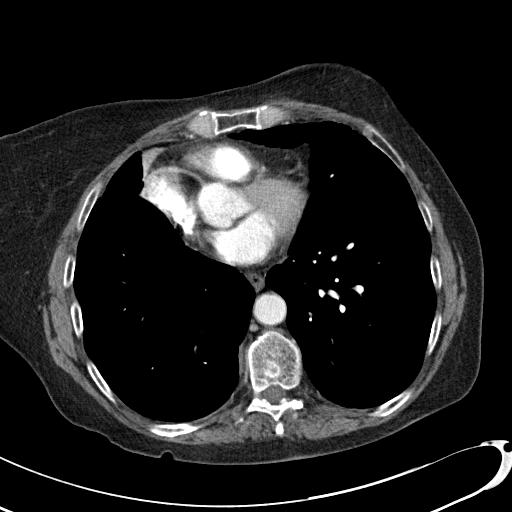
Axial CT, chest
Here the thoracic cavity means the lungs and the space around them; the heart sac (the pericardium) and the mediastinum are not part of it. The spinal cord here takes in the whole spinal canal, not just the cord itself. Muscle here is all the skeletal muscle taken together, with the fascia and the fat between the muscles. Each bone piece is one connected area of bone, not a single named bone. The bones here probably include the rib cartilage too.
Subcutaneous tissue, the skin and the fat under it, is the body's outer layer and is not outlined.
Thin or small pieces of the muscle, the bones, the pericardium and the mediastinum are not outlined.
{"spinal_cord":[[[270,386],[279,386],[282,389],[283,389],[285,391],[285,396],[282,397],[278,401],[278,402],[276,402],[275,403],[273,403],[272,402],[269,401],[266,398],[265,398],[262,396],[262,393],[263,392],[263,391],[264,391],[267,388],[268,388]]],"muscle":[[[201,106],[239,109],[199,110],[185,124],[187,133],[135,151],[102,191],[104,183],[98,180],[83,200],[75,224],[81,233],[76,254],[66,256],[62,284],[66,289],[73,287],[75,298],[69,313],[76,337],[83,340],[89,358],[85,367],[91,379],[113,404],[121,401],[158,422],[146,425],[151,433],[170,438],[202,428],[202,421],[231,403],[242,387],[250,389],[250,397],[245,404],[240,401],[231,408],[234,423],[241,423],[252,412],[265,413],[281,437],[283,414],[305,406],[304,400],[293,394],[303,371],[312,386],[335,404],[373,408],[367,413],[370,417],[385,417],[395,411],[411,397],[414,389],[408,387],[424,358],[432,353],[442,326],[442,313],[435,313],[442,273],[438,257],[431,254],[433,218],[428,205],[416,200],[403,174],[406,168],[402,159],[423,184],[448,241],[461,256],[467,295],[461,320],[437,371],[396,416],[321,439],[291,441],[277,437],[242,443],[182,444],[149,437],[118,421],[54,362],[40,306],[48,302],[47,273],[57,241],[82,193],[128,144],[159,124]],[[282,97],[299,100],[308,103],[325,105],[339,111],[361,117],[370,123],[366,123],[360,133],[345,123],[337,122],[333,120],[325,119],[307,121],[290,121],[289,120],[290,114],[283,107],[267,103],[260,104],[264,101],[270,99],[276,99]]],"thoracic_cavity":[[[325,120],[349,126],[393,162],[415,198],[430,239],[429,269],[436,303],[423,361],[405,389],[375,407],[340,405],[313,386],[300,348],[288,329],[286,301],[266,284],[268,271],[288,257],[311,194],[310,144],[273,147],[230,136],[245,129]],[[159,147],[164,150],[145,175],[141,195],[167,218],[186,246],[235,268],[254,291],[248,327],[238,345],[239,379],[235,389],[223,404],[193,421],[159,422],[150,419],[130,408],[114,393],[86,351],[82,312],[73,286],[80,236],[109,180],[135,152]]],"bones":[{"outer":[[266,330],[293,339],[301,354],[301,377],[292,394],[304,406],[282,414],[281,436],[265,412],[246,413],[235,423],[231,410],[248,402],[251,389],[247,386],[194,431],[170,437],[148,429],[149,423],[193,422],[223,405],[246,372],[245,349]],"hole":[[270,386],[279,386],[282,389],[283,389],[285,391],[285,396],[282,397],[278,401],[278,402],[276,402],[275,403],[273,403],[272,402],[269,401],[266,398],[265,398],[262,396],[262,393],[263,392],[263,391],[264,391],[267,388],[268,388]]},[[264,104],[278,106],[286,110],[289,114],[288,119],[289,122],[287,123],[279,123],[261,129],[242,127],[236,128],[231,131],[220,133],[210,137],[190,133],[186,128],[186,124],[190,119],[196,115],[199,111],[204,109],[230,113],[235,110],[251,108]],[[366,124],[371,124],[376,129],[379,134],[384,139],[385,139],[385,140],[395,150],[396,153],[399,156],[404,165],[404,167],[405,168],[403,172],[402,172],[397,167],[394,162],[385,153],[384,153],[379,148],[374,145],[364,135],[362,134],[362,132]],[[98,181],[101,181],[103,183],[103,187],[100,192],[99,196],[94,203],[86,219],[86,221],[83,226],[83,228],[81,232],[79,232],[76,228],[76,224],[77,223],[77,218],[78,217],[78,215],[80,212],[80,210],[82,207],[82,205],[88,192]],[[407,388],[412,388],[413,389],[413,391],[410,397],[404,403],[403,403],[395,410],[394,410],[392,412],[391,412],[389,414],[385,416],[370,416],[368,415],[368,413],[374,408],[379,406],[381,404],[383,404],[385,402],[395,397]],[[89,359],[91,360],[91,361],[94,364],[94,365],[98,370],[99,373],[106,382],[106,383],[113,392],[113,393],[120,400],[120,401],[118,401],[116,403],[116,404],[113,403],[99,389],[99,388],[96,385],[95,382],[92,379],[86,367],[86,362]],[[437,312],[441,313],[441,326],[440,327],[439,335],[438,336],[437,341],[431,353],[428,356],[426,356],[425,357],[425,352],[427,348],[427,344],[428,343],[428,340],[430,335],[430,331],[432,326],[432,322],[433,321],[434,316]],[[75,299],[76,299],[78,302],[78,304],[80,307],[80,311],[81,312],[81,318],[82,319],[82,325],[83,326],[82,338],[78,338],[75,333],[74,327],[73,326],[73,323],[72,322],[72,318],[70,313],[70,306],[71,305],[71,303],[73,300]],[[69,254],[71,254],[72,255],[75,256],[75,266],[74,267],[74,272],[73,273],[73,281],[72,282],[72,285],[71,286],[70,286],[69,287],[67,287],[66,288],[63,284],[63,275],[64,274],[64,267],[65,266],[65,262],[66,261],[67,256]],[[431,255],[434,255],[437,257],[439,261],[439,266],[440,267],[440,272],[441,273],[441,286],[440,287],[440,289],[438,291],[436,291],[435,290],[435,288],[433,284],[433,281],[432,280],[432,276],[431,275],[431,270],[430,269],[430,258],[431,257]],[[419,200],[421,200],[423,201],[429,208],[429,210],[431,214],[431,217],[432,218],[432,230],[430,232],[428,231],[426,227],[426,225],[424,222],[424,220],[423,219],[422,214],[419,209],[419,207],[417,203],[417,201]]],"mediastinum":[[[288,246],[288,255],[284,261],[273,265],[267,271],[265,284],[285,301],[287,308],[285,321],[293,338],[289,338],[274,329],[266,329],[258,334],[244,349],[246,369],[240,379],[239,345],[249,327],[255,291],[238,270],[255,270],[263,267],[276,259]],[[189,133],[190,134],[194,134],[198,136],[207,138],[201,138],[188,142],[184,142],[180,144],[171,145],[168,146],[165,149],[165,148],[162,146],[159,146],[158,147],[149,147],[144,149],[149,146],[171,140],[172,138],[174,138],[176,136],[182,136]],[[303,143],[307,143],[309,144],[310,155],[309,156],[309,159],[308,160],[308,172],[308,165],[306,163],[302,155],[298,151],[296,151],[295,150],[290,150],[289,149],[285,149],[284,148],[279,148],[277,147],[281,147],[282,148],[293,148]]],"torso":[[[318,61],[349,63],[386,88],[434,153],[471,215],[484,268],[481,359],[471,389],[460,400],[377,441],[336,453],[263,464],[184,462],[167,452],[160,457],[146,456],[124,450],[103,435],[68,421],[26,361],[0,339],[0,136],[84,106],[196,96]]],"pericardium":[[[221,137],[253,145],[295,151],[301,155],[307,165],[309,197],[295,234],[288,242],[287,247],[276,258],[255,269],[237,269],[234,266],[212,259],[192,249],[186,245],[180,233],[168,218],[142,195],[143,181],[146,175],[155,160],[168,147],[201,139]]]}